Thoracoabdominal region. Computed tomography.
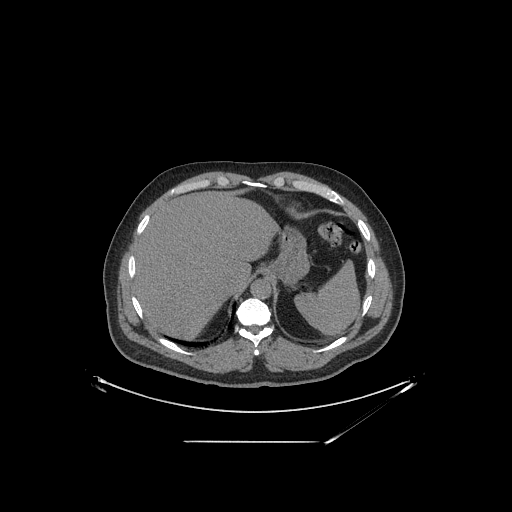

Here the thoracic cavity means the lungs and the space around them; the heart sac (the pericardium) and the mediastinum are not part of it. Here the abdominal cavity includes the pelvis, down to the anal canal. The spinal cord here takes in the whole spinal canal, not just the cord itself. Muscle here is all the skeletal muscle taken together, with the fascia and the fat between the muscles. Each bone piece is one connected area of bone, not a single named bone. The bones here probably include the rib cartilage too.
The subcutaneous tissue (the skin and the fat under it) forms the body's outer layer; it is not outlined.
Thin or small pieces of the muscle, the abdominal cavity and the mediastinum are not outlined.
The torso is outlined by (207, 160) (318, 163) (346, 174) (364, 189) (388, 221) (398, 244) (405, 271) (401, 315) (389, 340) (379, 351) (321, 381) (280, 387) (232, 388) (199, 383) (144, 367) (128, 360) (117, 350) (107, 327) (102, 282) (104, 258) (112, 236) (136, 195) (156, 175) (179, 164). The muscle appears in 2 outlined pieces: piece 1: (166, 191) (171, 197) (151, 217) (146, 213) (138, 222) (136, 233) (140, 235) (135, 256) (130, 254) (127, 259) (127, 272) (135, 290) (130, 297) (133, 308) (161, 336) (157, 341) (163, 346) (193, 356) (194, 352) (180, 346) (205, 348) (237, 333) (252, 343) (252, 353) (258, 356) (261, 340) (275, 330) (272, 321) (292, 342) (318, 347) (311, 350) (313, 353) (328, 351) (347, 341) (346, 334) (372, 303) (373, 296) (366, 295) (366, 276) (375, 276) (376, 264) (367, 256) (365, 241) (371, 240) (367, 224) (361, 218) (355, 222) (345, 213) (341, 195) (366, 216) (378, 240) (393, 290) (387, 322) (364, 343) (321, 367) (301, 371) (270, 371) (257, 360) (248, 371) (214, 373) (130, 340) (118, 323) (120, 262) (139, 215); piece 2: (210, 171) (225, 171) (226, 172) (231, 172) (232, 173) (247, 175) (252, 178) (257, 178) (261, 176) (269, 175) (280, 171) (290, 171) (291, 172) (306, 175) (324, 184) (326, 184) (330, 187) (324, 184) (320, 184) (319, 183) (308, 181) (304, 179) (293, 179) (290, 182) (290, 184) (295, 190) (280, 189) (283, 188) (286, 184) (285, 178) (281, 175) (275, 177) (272, 180) (272, 184) (273, 186) (276, 188) (268, 186) (268, 185) (264, 182) (252, 181) (247, 179) (243, 179) (241, 181) (241, 184) (231, 187) (227, 187) (230, 184) (231, 181) (229, 178) (222, 174) (216, 176) (213, 181) (217, 187) (210, 187) (213, 183) (213, 180) (210, 178) (201, 178) (197, 180) (184, 182) (176, 185) (190, 177). The abdominal cavity is outlined by (239, 185) (264, 188) (275, 196) (291, 194) (315, 209) (344, 213) (356, 224) (367, 257) (365, 296) (345, 335) (319, 347) (286, 337) (272, 320) (274, 286) (263, 275) (254, 277) (230, 305) (212, 340) (160, 335) (148, 323) (134, 277) (138, 242) (150, 218) (173, 196). The mediastinum appears in 2 outlined pieces: piece 1: (258, 276) (263, 276) (267, 278) (273, 286) (273, 303) (271, 309) (265, 302) (257, 297) (245, 298) (238, 304) (235, 312) (235, 325) (232, 335) (222, 342) (208, 345) (215, 342) (224, 332) (224, 325) (228, 317) (231, 305) (239, 299) (240, 295) (246, 289) (250, 282); piece 2: (267, 187) (270, 187) (278, 190) (284, 190) (285, 191) (311, 192) (342, 207) (345, 212) (324, 209) (323, 208) (315, 208) (306, 201) (304, 201) (301, 197) (298, 197) (297, 195) (294, 195) (291, 193) (281, 193) (278, 195) (275, 195) (270, 193) (265, 188). The thoracic cavity is outlined by (223, 327) (223, 331) (220, 336) (215, 341) (208, 344) (207, 346) (205, 345) (204, 346) (205, 347) (188, 347) (187, 346) (179, 345) (174, 341) (172, 341) (162, 336) (172, 337) (176, 339) (185, 340) (186, 341) (191, 341) (192, 342) (206, 343) (214, 340) (220, 333). The spinal cord is outlined by (252, 325) (257, 325) (258, 326) (259, 326) (260, 327) (261, 327) (261, 328) (260, 329) (260, 330) (257, 333) (253, 333) (252, 332) (251, 332) (249, 330) (248, 330) (248, 329) (247, 328) (248, 327) (249, 327) (250, 326) (251, 326). The bones appear in 14 outlined pieces: piece 1: (247, 298) (257, 298) (265, 303) (271, 311) (271, 322) (274, 325) (274, 330) (269, 335) (260, 340) (257, 346) (259, 351) (258, 355) (255, 355) (253, 353) (254, 345) (249, 339) (241, 336) (237, 332) (234, 332) (237, 320) (236, 319) (236, 312) (238, 309) (239, 304); inner edge: (252, 325) (257, 325) (258, 326) (259, 326) (260, 327) (261, 327) (261, 328) (260, 329) (260, 330) (257, 333) (253, 333) (252, 332) (251, 332) (249, 330) (248, 330) (248, 329) (247, 328) (248, 327) (249, 327) (250, 326) (251, 326); piece 2: (293, 180) (304, 180) (308, 182) (311, 182) (320, 185) (324, 185) (329, 188) (331, 188) (337, 192) (342, 197) (344, 201) (344, 204) (339, 205) (327, 199) (325, 197) (316, 194) (311, 191) (299, 191) (296, 190) (291, 184) (291, 182); piece 3: (201, 179) (210, 179) (212, 180) (212, 183) (209, 187) (200, 188) (199, 189) (194, 189) (190, 191) (186, 191) (183, 193) (179, 193) (172, 196) (168, 194) (168, 191) (171, 188) (175, 186) (177, 186) (180, 184) (183, 184) (184, 183) (188, 183) (193, 181) (197, 181); piece 4: (159, 337) (163, 337) (172, 342) (174, 342) (183, 349) (187, 351) (190, 351) (194, 353) (194, 354) (193, 355) (188, 355) (187, 354) (183, 354) (177, 351) (175, 351) (163, 345) (160, 342) (159, 342) (158, 341) (158, 338); piece 5: (342, 336) (347, 336) (348, 338) (347, 340) (346, 340) (343, 343) (340, 344) (338, 346) (336, 346) (328, 350) (325, 350) (324, 351) (321, 351) (320, 352) (313, 352) (312, 351) (313, 349) (317, 349) (320, 347) (325, 346) (329, 344) (334, 340); piece 6: (358, 219) (361, 219) (366, 224) (366, 225) (369, 230) (369, 232) (370, 233) (370, 240) (369, 241) (367, 241) (366, 240) (365, 240) (364, 239) (364, 238) (362, 236) (362, 235) (361, 234) (361, 233) (357, 226) (357, 224) (356, 223) (357, 222) (357, 220); piece 7: (368, 258) (372, 258) (373, 259) (373, 260) (374, 261) (374, 263) (375, 264) (375, 273) (374, 274) (374, 276) (372, 278) (371, 278) (370, 277) (369, 277) (368, 276) (367, 276) (366, 275) (366, 266) (367, 265) (367, 260) (368, 259); piece 8: (130, 255) (133, 255) (134, 256) (134, 258) (135, 259) (135, 273) (134, 274) (134, 276) (132, 278) (131, 278) (130, 277) (130, 276) (129, 275) (129, 273) (128, 272) (128, 259) (129, 258) (129, 256); piece 9: (146, 214) (148, 214) (150, 217) (149, 218) (149, 221) (148, 222) (148, 223) (147, 224) (147, 225) (145, 227) (145, 228) (143, 230) (143, 231) (140, 234) (138, 234) (137, 233) (137, 226) (138, 225) (138, 224) (139, 223) (139, 222) (143, 218) (143, 217); piece 10: (221, 175) (222, 175) (223, 176) (224, 176) (225, 177) (226, 177) (228, 179) (229, 179) (229, 180) (230, 181) (230, 182) (229, 183) (229, 184) (226, 187) (218, 187) (214, 181) (215, 180) (215, 179) (216, 178) (216, 177) (217, 177) (218, 176) (220, 176); piece 11: (368, 295) (371, 295) (372, 296) (372, 300) (371, 301) (371, 303) (370, 304) (370, 305) (369, 306) (369, 307) (368, 308) (368, 309) (367, 310) (366, 313) (363, 316) (361, 316) (361, 312) (362, 311) (362, 304) (363, 303) (363, 301) (364, 300) (365, 297); piece 12: (132, 296) (135, 296) (135, 297) (139, 302) (139, 304) (140, 305) (140, 306) (141, 307) (141, 309) (142, 310) (142, 313) (143, 314) (143, 318) (141, 318) (138, 315) (136, 310) (134, 308) (134, 306) (133, 305) (133, 304) (132, 303) (132, 301) (131, 300) (131, 297); piece 13: (243, 180) (247, 180) (248, 181) (251, 181) (252, 182) (260, 182) (261, 183) (264, 183) (265, 184) (266, 184) (267, 185) (267, 186) (266, 187) (256, 187) (255, 186) (249, 186) (248, 185) (245, 185) (244, 184) (242, 184) (242, 181); piece 14: (279, 176) (281, 176) (282, 177) (283, 177) (284, 178) (284, 180) (285, 181) (285, 184) (283, 186) (283, 187) (282, 187) (281, 188) (277, 188) (276, 187) (275, 187) (274, 186) (274, 185) (273, 184) (273, 180) (275, 178) (276, 178) (277, 177) (278, 177).